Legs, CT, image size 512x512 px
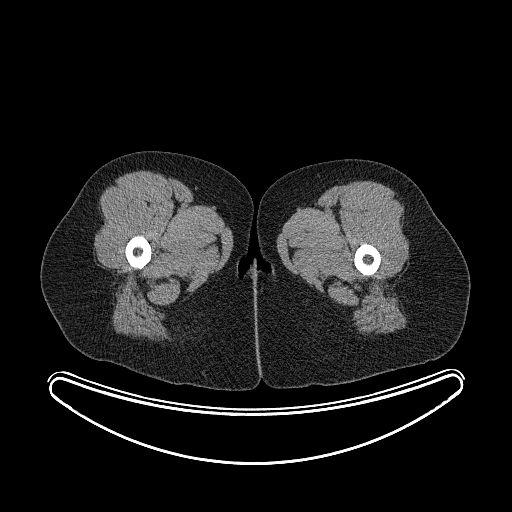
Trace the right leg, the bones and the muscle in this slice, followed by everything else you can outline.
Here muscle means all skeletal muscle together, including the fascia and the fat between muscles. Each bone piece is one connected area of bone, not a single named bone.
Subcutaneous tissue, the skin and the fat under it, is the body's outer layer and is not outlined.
The right leg is outlined by [[143,150],[176,152],[217,164],[233,174],[246,187],[252,198],[249,250],[239,261],[238,271],[242,276],[254,257],[254,346],[261,380],[253,389],[232,391],[173,384],[89,358],[67,341],[48,308],[40,285],[40,266],[51,233],[96,169],[118,156]]. The bones appear in 2 outlined pieces: piece 1: [[139,234],[144,236],[146,238],[146,239],[149,242],[149,244],[151,248],[151,258],[150,260],[141,269],[138,269],[137,268],[134,268],[132,267],[129,264],[127,260],[127,258],[125,255],[125,247],[127,242],[130,239],[130,238],[135,235],[138,235]]; piece 2: [[362,243],[368,243],[369,244],[371,244],[373,245],[378,250],[381,256],[380,263],[379,264],[379,266],[377,270],[373,274],[371,275],[364,275],[362,273],[361,273],[354,265],[354,262],[353,260],[354,259],[354,254],[355,253],[355,251],[356,249]]. The muscle appears in 2 outlined pieces: piece 1: [[137,170],[158,172],[181,181],[206,205],[216,207],[233,236],[233,247],[224,266],[195,296],[169,308],[165,322],[174,336],[171,342],[135,339],[112,329],[110,323],[113,278],[108,270],[101,268],[93,260],[94,235],[103,222],[99,197],[118,176]], around a hole outlined by [[139,234],[144,236],[146,238],[146,239],[149,242],[149,244],[151,248],[151,258],[150,260],[141,269],[138,269],[137,268],[134,268],[132,267],[129,264],[127,260],[127,258],[125,255],[125,247],[127,242],[130,239],[130,238],[135,235],[138,235]]; piece 2: [[355,180],[382,183],[402,199],[402,230],[409,242],[408,267],[395,287],[408,319],[407,327],[395,333],[374,337],[357,333],[343,312],[318,297],[304,281],[293,275],[283,265],[276,248],[276,239],[283,224],[298,206],[302,207],[311,198],[334,185]] with a hole at [[362,243],[368,243],[369,244],[371,244],[373,245],[378,250],[381,256],[380,263],[379,264],[379,266],[377,270],[373,274],[371,275],[364,275],[362,273],[361,273],[354,265],[354,262],[353,260],[354,259],[354,254],[355,253],[355,251],[356,249]]. The left leg is outlined by [[343,158],[369,159],[390,165],[418,185],[466,261],[470,293],[465,323],[455,345],[443,356],[424,364],[337,385],[272,388],[262,380],[255,346],[255,257],[260,268],[267,272],[270,269],[258,248],[256,222],[259,202],[268,187],[286,173],[306,165]].